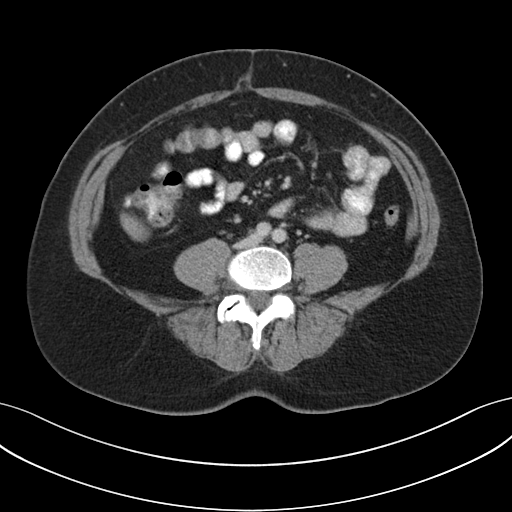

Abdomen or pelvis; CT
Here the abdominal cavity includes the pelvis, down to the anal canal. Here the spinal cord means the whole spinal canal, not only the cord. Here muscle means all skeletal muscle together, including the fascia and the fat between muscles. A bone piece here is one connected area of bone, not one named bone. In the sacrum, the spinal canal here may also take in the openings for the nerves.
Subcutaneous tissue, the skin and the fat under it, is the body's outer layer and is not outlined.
The bones are outlined by (261, 245) (276, 248) (289, 259) (292, 268) (291, 281) (283, 291) (293, 301) (295, 311) (291, 317) (278, 317) (269, 322) (262, 329) (260, 348) (256, 350) (250, 339) (251, 326) (237, 320) (219, 322) (217, 307) (225, 295) (236, 291) (227, 271) (230, 259) (240, 251), around a hole outlined by (251, 291) (265, 291) (266, 292) (267, 292) (269, 294) (269, 295) (270, 296) (270, 302) (269, 303) (269, 304) (263, 309) (262, 309) (259, 311) (257, 311) (256, 310) (255, 310) (250, 305) (250, 304) (247, 301) (247, 296) (248, 295) (248, 294) (249, 294). The torso is outlined by (225, 48) (289, 49) (346, 65) (402, 102) (448, 157) (472, 219) (483, 298) (468, 348) (437, 381) (376, 405) (331, 413) (298, 413) (252, 396) (209, 413) (164, 415) (80, 390) (42, 356) (26, 307) (26, 260) (42, 196) (62, 156) (90, 118) (133, 80) (181, 57). The muscle is outlined by (242, 78) (249, 79) (254, 87) (282, 87) (283, 88) (290, 88) (316, 95) (328, 101) (333, 102) (340, 106) (342, 106) (389, 131) (393, 135) (396, 136) (405, 143) (417, 155) (418, 158) (427, 170) (437, 196) (438, 210) (440, 216) (440, 225) (439, 226) (438, 236) (437, 237) (437, 245) (435, 247) (434, 252) (429, 262) (429, 264) (425, 269) (415, 277) (407, 281) (399, 287) (371, 304) (357, 316) (344, 335) (340, 337) (325, 353) (313, 362) (295, 371) (273, 370) (269, 367) (263, 365) (260, 362) (257, 362) (256, 361) (247, 368) (237, 371) (220, 370) (209, 365) (196, 356) (191, 354) (170, 333) (153, 312) (133, 300) (131, 300) (127, 297) (125, 297) (123, 295) (118, 293) (104, 282) (96, 278) (94, 278) (80, 270) (73, 260) (69, 245) (70, 240) (68, 233) (68, 214) (69, 213) (70, 204) (78, 181) (86, 165) (89, 160) (98, 151) (110, 143) (114, 142) (119, 138) (150, 120) (160, 113) (162, 113) (166, 110) (180, 103) (182, 103) (194, 96) (195, 97) (204, 93) (207, 93) (212, 91) (217, 91) (218, 90) (231, 90) (236, 85) (238, 81) with a hole at (242, 92) (326, 111) (361, 128) (391, 158) (414, 219) (413, 253) (405, 269) (393, 279) (356, 289) (320, 293) (342, 279) (348, 269) (346, 254) (335, 244) (297, 245) (291, 281) (283, 288) (294, 303) (294, 314) (269, 322) (258, 350) (249, 324) (221, 323) (217, 318) (221, 299) (236, 291) (227, 271) (232, 251) (222, 239) (209, 237) (176, 256) (175, 277) (201, 293) (190, 299) (114, 280) (100, 264) (93, 241) (106, 181) (128, 148) (169, 119). The spinal cord is outlined by (251, 291) (265, 291) (266, 292) (267, 292) (269, 294) (269, 295) (270, 296) (270, 302) (269, 303) (269, 304) (263, 309) (262, 309) (259, 311) (257, 311) (256, 310) (255, 310) (250, 305) (250, 304) (247, 301) (247, 296) (248, 295) (248, 294) (249, 294). The abdominal cavity is outlined by (242, 92) (335, 114) (383, 147) (414, 219) (413, 253) (401, 273) (320, 293) (348, 269) (338, 245) (300, 243) (292, 267) (276, 247) (232, 256) (214, 236) (186, 247) (172, 264) (175, 277) (201, 293) (197, 298) (149, 293) (106, 273) (93, 241) (116, 163) (148, 130).